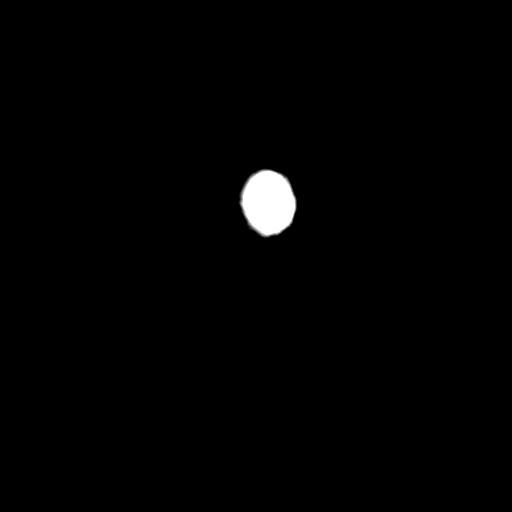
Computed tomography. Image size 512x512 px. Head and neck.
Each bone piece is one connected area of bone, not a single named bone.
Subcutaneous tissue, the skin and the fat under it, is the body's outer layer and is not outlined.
{"bones":[[[260,168],[271,168],[281,172],[287,176],[291,182],[293,190],[297,199],[297,209],[295,212],[294,219],[291,225],[278,235],[273,235],[268,237],[264,237],[259,235],[247,224],[242,215],[242,212],[238,203],[239,192],[246,178],[252,172]]],"head_and_neck":[[[260,168],[271,168],[281,172],[287,176],[291,182],[297,199],[297,209],[291,225],[278,235],[274,235],[273,237],[268,239],[261,238],[254,233],[253,231],[250,231],[246,227],[246,222],[244,221],[244,218],[238,203],[239,192],[242,183],[250,173]]]}